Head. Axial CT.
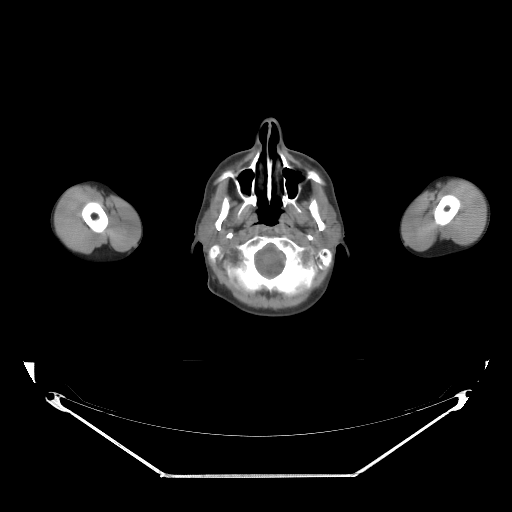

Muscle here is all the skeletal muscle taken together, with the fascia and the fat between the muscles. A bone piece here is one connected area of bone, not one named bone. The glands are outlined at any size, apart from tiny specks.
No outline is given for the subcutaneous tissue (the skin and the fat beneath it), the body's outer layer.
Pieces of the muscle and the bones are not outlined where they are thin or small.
right arm: 86 179; 95 179; 104 182; 117 192; 118 194; 130 202; 135 207; 140 215; 143 224; 143 236; 141 242; 137 248; 129 256; 124 259; 111 263; 92 263; 82 260; 66 251; 56 240; 50 229; 49 223; 50 212; 57 197; 68 186
parotid glands 1: 331 216; 335 216; 337 218; 339 222; 339 225; 340 226; 340 235; 339 236; 339 238; 337 241; 336 241; 335 243; 333 244; 332 246; 332 249; 330 249; 324 242; 324 233; 325 232; 325 229; 327 224; 327 222; 326 221; 327 219
parotid glands 2: 206 214; 207 215; 209 215; 209 216; 213 221; 214 223; 214 227; 215 228; 215 233; 214 234; 213 240; 212 242; 208 246; 206 246; 204 242; 202 241; 198 236; 198 229; 199 228; 200 222; 202 219; 202 217
head: 270 116; 279 122; 288 148; 313 157; 330 175; 351 255; 349 259; 338 245; 334 270; 324 294; 306 313; 283 319; 246 315; 221 301; 207 287; 202 245; 197 243; 189 255; 194 223; 208 177; 225 157; 251 147; 259 123 with holes at 263 191; 265 193; 266 200; 269 203; 272 199; 273 194; 275 194; 275 195; 279 198; 279 200; 281 203; 281 207; 280 208; 281 211; 277 218; 277 222; 271 225; 266 223; 262 223; 259 221; 258 201; 259 200; 259 195; 261 194 and at 285 169; 289 169; 290 170; 297 171; 299 172; 300 174; 301 174; 301 176; 302 177; 302 178; 299 181; 297 182; 296 184; 296 192; 295 194; 292 197; 290 197; 289 195; 289 192; 287 188; 287 179; 284 175; 284 170 and at 246 170; 250 170; 252 173; 252 177; 250 180; 250 184; 249 185; 249 192; 248 193; 246 193; 243 191; 242 189; 242 186; 238 178; 240 174; 241 174; 242 172 and at 273 124; 275 126; 275 127; 276 128; 276 131; 277 132; 277 140; 276 141; 276 142; 275 143; 275 157; 274 157; 273 158; 270 155; 270 154; 269 153; 269 140; 270 139; 270 136; 271 135; 271 132; 272 131; 272 126; 273 125 and at 265 124; 266 124; 267 126; 267 130; 266 131; 266 137; 265 138; 265 143; 266 144; 266 152; 265 153; 265 163; 264 165; 263 164; 263 162; 261 158; 261 155; 262 154; 262 142; 261 141; 261 130; 263 126
muscle 1: 282 150; 317 169; 326 181; 328 199; 335 215; 329 216; 325 221; 326 224; 314 197; 307 208; 317 229; 320 232; 324 231; 323 242; 327 247; 324 246; 315 251; 312 247; 298 244; 286 235; 255 234; 235 246; 240 253; 239 260; 234 265; 228 263; 224 267; 226 275; 232 282; 235 282; 237 288; 245 292; 254 293; 265 290; 290 297; 309 289; 318 271; 330 266; 320 287; 299 305; 283 309; 256 308; 234 298; 219 287; 212 278; 213 272; 208 257; 215 262; 218 257; 222 257; 222 248; 218 243; 214 243; 207 252; 207 247; 213 242; 216 230; 221 230; 222 223; 228 216; 231 207; 229 198; 226 195; 222 198; 214 222; 209 214; 204 214; 209 206; 213 181; 215 179; 216 182; 221 182; 227 178; 232 180; 242 201; 237 211; 238 217; 248 205; 257 206; 258 221; 270 226; 278 222; 282 207; 291 205; 300 213; 301 209; 297 200; 302 191; 303 181; 312 180; 320 185; 323 185; 324 181; 314 169; 304 172; 296 169
muscle 2: 452 178; 469 182; 482 194; 486 203; 487 210; 486 222; 482 232; 476 240; 468 245; 463 246; 453 244; 446 247; 432 248; 425 253; 414 250; 405 243; 402 236; 402 223; 405 214; 412 204; 428 187; 435 185; 438 182; 445 182, around a hole outlined by 446 194; 452 194; 456 196; 459 199; 460 201; 460 206; 456 214; 448 223; 447 223; 445 225; 439 225; 435 223; 435 221; 434 220; 434 209; 437 205; 437 204; 439 202; 442 196
muscle 3: 82 184; 94 184; 110 191; 125 202; 133 210; 138 219; 140 226; 140 235; 135 245; 124 252; 118 252; 112 249; 101 247; 96 248; 90 254; 84 254; 72 250; 62 241; 58 236; 54 226; 54 213; 56 207; 60 199; 68 190; inner edge: 89 201; 96 201; 100 203; 104 211; 107 215; 107 217; 108 218; 108 223; 107 224; 107 226; 102 232; 100 232; 99 233; 98 232; 95 232; 93 231; 84 221; 81 215; 81 211; 82 210; 82 208; 83 206; 87 202
muscle 4: 256 149; 257 150; 254 156; 249 162; 249 163; 241 167; 236 171; 232 169; 225 169; 223 170; 218 176; 220 172; 228 165; 231 164; 233 162; 237 160; 241 159; 243 157; 244 157; 246 155; 247 155; 249 153; 250 153; 252 151
brain: 268 244; 272 244; 274 246; 275 246; 275 247; 278 250; 282 252; 284 255; 283 266; 281 270; 277 274; 271 277; 266 276; 262 273; 261 273; 257 268; 256 266; 256 264; 255 263; 255 255; 256 253; 260 250; 261 250; 266 245
left arm: 442 174; 457 174; 461 176; 464 176; 475 182; 483 189; 489 199; 491 206; 490 223; 483 238; 479 243; 471 249; 444 257; 438 257; 437 258; 422 258; 418 257; 407 251; 402 245; 398 233; 399 220; 403 210; 409 202; 432 179
bones 1: 255 235; 286 236; 298 245; 312 248; 315 252; 324 247; 327 248; 332 253; 331 263; 317 271; 309 288; 295 295; 289 296; 265 289; 245 291; 237 287; 236 282; 228 277; 225 267; 228 264; 234 266; 240 260; 241 253; 236 246 with a hole at 268 244; 272 244; 274 246; 275 246; 275 247; 278 250; 282 252; 284 255; 283 266; 281 270; 277 274; 271 277; 266 276; 262 273; 261 273; 257 268; 256 266; 256 264; 255 263; 255 255; 256 253; 260 250; 261 250; 266 245
bones 2: 260 149; 264 166; 267 150; 273 159; 281 150; 296 170; 314 170; 322 179; 323 184; 302 181; 296 200; 300 212; 291 204; 283 207; 275 193; 269 202; 263 190; 257 205; 248 204; 238 216; 243 201; 233 180; 216 179; 249 164; inner edges: 285 169; 289 169; 290 170; 297 171; 299 172; 300 174; 301 174; 301 176; 302 177; 302 178; 299 181; 297 182; 296 184; 296 192; 295 194; 292 197; 290 197; 289 195; 289 192; 287 188; 287 179; 284 175; 284 170, then 246 170; 250 170; 252 173; 252 177; 250 180; 250 184; 249 185; 249 192; 248 193; 246 193; 243 191; 242 189; 242 186; 238 178; 240 174; 241 174; 242 172
bones 3: 89 201; 96 201; 100 203; 104 211; 107 215; 107 217; 108 218; 108 223; 107 224; 107 226; 102 232; 100 232; 99 233; 98 232; 95 232; 93 231; 84 221; 81 215; 81 211; 82 210; 82 208; 83 206; 87 202
bones 4: 446 194; 452 194; 456 196; 459 199; 460 201; 460 206; 456 214; 448 223; 447 223; 445 225; 439 225; 435 223; 435 221; 434 220; 434 209; 437 205; 437 204; 439 202; 442 196
bones 5: 313 198; 314 198; 317 202; 317 204; 318 205; 318 212; 319 213; 319 215; 321 219; 325 224; 325 228; 324 230; 322 231; 320 231; 318 229; 318 226; 317 225; 317 223; 311 215; 310 211; 308 208; 309 204; 311 200
bones 6: 226 196; 228 198; 228 202; 229 203; 230 207; 229 208; 227 216; 222 221; 221 223; 221 228; 220 230; 217 230; 215 227; 215 221; 217 219; 219 215; 219 213; 221 209; 221 205; 222 204; 222 201; 223 200; 223 198
bones 7: 214 244; 218 244; 220 246; 220 247; 221 248; 221 254; 222 255; 221 256; 221 257; 221 256; 220 255; 219 256; 218 256; 216 258; 215 261; 212 261; 209 258; 209 257; 208 256; 208 251; 209 250; 210 247; 212 245; 213 245